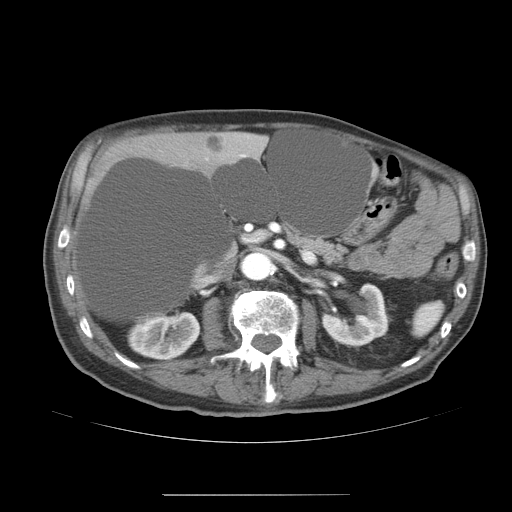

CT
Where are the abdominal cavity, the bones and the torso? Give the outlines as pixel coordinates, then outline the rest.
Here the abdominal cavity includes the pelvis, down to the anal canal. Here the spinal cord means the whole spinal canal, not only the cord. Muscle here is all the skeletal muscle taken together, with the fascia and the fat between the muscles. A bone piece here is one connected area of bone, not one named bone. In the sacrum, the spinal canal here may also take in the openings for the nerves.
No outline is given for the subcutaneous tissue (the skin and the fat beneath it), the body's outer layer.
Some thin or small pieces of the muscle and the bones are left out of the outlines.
Outlines (x, y in pixels):
abdominal cavity: 240 128; 336 134; 450 183; 466 220; 465 270; 450 316; 421 352; 364 369; 322 356; 314 304; 303 297; 299 307; 265 288; 239 291; 231 303; 204 302; 206 353; 134 361; 110 341; 88 311; 73 255; 74 219; 95 162; 130 136
bones 1: 254 289; 286 293; 301 315; 295 340; 298 366; 294 370; 278 361; 272 363; 270 382; 276 396; 269 403; 263 399; 262 366; 251 371; 242 363; 238 371; 236 358; 210 362; 212 356; 240 345; 241 335; 229 316; 230 305; 236 294 with a hole at 258 334; 262 334; 266 336; 270 334; 273 334; 277 336; 281 340; 281 343; 280 345; 276 348; 273 349; 271 351; 267 353; 265 353; 257 349; 252 345; 252 340; 253 338; 256 335
bones 2: 88 146; 90 146; 91 147; 91 156; 89 159; 89 161; 85 170; 85 174; 84 175; 84 179; 83 180; 82 187; 79 193; 72 193; 70 189; 70 185; 71 184; 72 173; 76 164; 76 161; 77 160; 78 155
bones 3: 470 239; 473 239; 473 240; 475 243; 475 258; 473 261; 468 261; 466 259; 464 259; 464 258; 463 257; 463 254; 462 253; 462 247; 463 246; 463 245; 466 242; 466 241; 467 241
bones 4: 460 185; 462 185; 464 186; 464 187; 466 189; 466 191; 468 195; 468 199; 469 200; 469 212; 468 214; 466 215; 464 214; 462 214; 462 210; 461 209; 461 206; 460 205; 460 200; 459 199; 459 186
bones 5: 65 224; 69 227; 69 229; 70 230; 70 238; 69 239; 69 241; 66 245; 66 246; 65 246; 63 248; 59 248; 57 245; 57 242; 58 241; 58 236; 59 235; 59 233; 60 232; 60 231; 62 229; 63 226
bones 6: 115 351; 117 351; 122 356; 123 356; 124 357; 135 362; 138 365; 139 365; 140 366; 140 368; 139 369; 134 369; 133 368; 131 368; 130 367; 127 366; 125 364; 124 364; 121 361; 120 361; 115 356; 115 355; 114 354; 114 352
bones 7: 82 316; 84 316; 86 318; 86 319; 87 320; 87 321; 89 324; 89 326; 90 327; 90 329; 91 330; 91 331; 92 332; 92 334; 93 335; 93 336; 91 338; 89 338; 83 332; 83 331; 81 329; 81 328; 79 325; 79 319
bones 8: 416 355; 420 355; 420 358; 417 361; 416 361; 414 363; 413 363; 410 365; 408 365; 405 367; 401 367; 401 366; 400 365; 400 364; 401 363; 402 363; 404 361; 405 361; 406 360; 407 360; 408 359; 409 359; 410 358; 411 358
torso: 201 108; 291 109; 326 114; 405 143; 469 176; 478 193; 487 239; 484 291; 472 327; 428 381; 376 401; 340 410; 262 417; 215 417; 187 410; 161 409; 124 396; 71 363; 54 331; 42 267; 45 229; 69 155; 88 131; 106 122
spinal cord: 258 334; 262 334; 266 336; 270 334; 273 334; 277 336; 281 340; 281 343; 280 345; 276 348; 273 349; 271 351; 267 353; 265 353; 257 349; 252 345; 252 340; 253 338; 256 335
muscle: 259 122; 300 122; 301 123; 316 124; 324 127; 329 127; 338 130; 342 130; 345 132; 348 132; 383 144; 400 148; 425 158; 461 176; 467 182; 474 196; 478 228; 479 229; 479 237; 480 238; 480 259; 474 281; 474 287; 471 299; 463 315; 459 320; 455 332; 445 346; 425 365; 415 371; 396 378; 389 382; 360 392; 330 395; 329 396; 311 397; 310 398; 302 399; 299 401; 283 402; 272 406; 259 406; 252 404; 249 405; 239 405; 238 404; 214 400; 206 397; 201 397; 176 391; 160 389; 146 382; 141 381; 119 368; 107 363; 90 352; 80 341; 78 334; 75 330; 73 322; 71 318; 68 316; 66 310; 63 307; 61 302; 61 299; 59 295; 59 290; 55 277; 54 264; 52 257; 52 246; 53 245; 54 230; 57 221; 57 217; 60 207; 62 192; 66 176; 72 162; 75 159; 79 150; 84 143; 90 137; 99 132; 102 131; 115 131; 131 127; 145 127; 151 125; 178 124; 179 123; 182 124; 238 124; 239 123; 258 123, around holes outlined by 240 128; 309 128; 336 134; 400 155; 443 177; 458 196; 459 186; 464 186; 469 200; 465 240; 473 239; 475 258; 466 261; 459 280; 466 293; 463 298; 456 296; 448 318; 451 329; 445 337; 439 333; 418 354; 420 358; 405 367; 399 363; 354 367; 318 353; 316 309; 303 297; 295 340; 300 352; 298 366; 294 370; 278 361; 272 363; 270 382; 276 396; 269 403; 263 399; 262 366; 251 371; 242 363; 238 371; 236 358; 210 362; 212 356; 232 351; 241 343; 229 316; 229 298; 212 296; 202 306; 201 341; 206 353; 136 361; 139 369; 115 356; 118 350; 88 311; 74 266; 74 219; 95 162; 108 145; 130 136 and by 88 146; 90 146; 91 147; 91 156; 89 159; 89 161; 85 170; 85 174; 84 175; 84 179; 83 180; 82 187; 79 193; 72 193; 70 189; 70 185; 71 184; 72 173; 76 164; 76 161; 77 160; 78 155 and by 65 224; 69 227; 69 229; 70 230; 70 238; 69 239; 69 241; 66 245; 66 246; 65 246; 63 248; 59 248; 57 245; 57 242; 58 241; 58 236; 59 235; 59 233; 60 232; 60 231; 62 229; 63 226 and by 82 316; 84 316; 86 318; 86 319; 87 320; 87 321; 89 324; 89 326; 90 327; 90 329; 91 330; 91 331; 92 332; 92 334; 93 335; 93 336; 91 338; 89 338; 83 332; 83 331; 81 329; 81 328; 79 325; 79 319 and by 69 274; 70 274; 71 275; 72 275; 73 276; 73 279; 74 280; 74 292; 73 293; 73 294; 72 295; 71 295; 68 292; 68 291; 67 290; 67 288; 66 287; 66 279; 67 278; 67 276